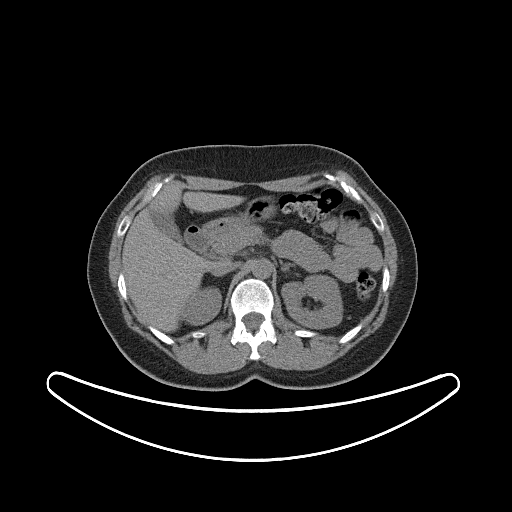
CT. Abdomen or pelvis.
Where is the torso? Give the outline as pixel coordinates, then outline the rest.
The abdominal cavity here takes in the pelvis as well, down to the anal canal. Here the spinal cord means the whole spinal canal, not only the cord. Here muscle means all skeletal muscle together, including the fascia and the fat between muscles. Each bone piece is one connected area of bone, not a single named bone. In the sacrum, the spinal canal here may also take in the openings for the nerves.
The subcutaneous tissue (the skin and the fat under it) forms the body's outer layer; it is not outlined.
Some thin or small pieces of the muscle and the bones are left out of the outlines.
The torso is outlined by 295 143; 331 147; 355 159; 405 218; 417 253; 417 288; 395 342; 367 372; 345 383; 317 389; 280 388; 252 379; 233 389; 202 391; 174 387; 146 375; 115 345; 96 311; 88 286; 88 250; 103 210; 142 163; 162 152; 212 144. The spinal cord is outlined by 251 312; 255 312; 256 313; 259 313; 260 314; 261 314; 263 316; 263 320; 259 325; 259 326; 258 327; 258 329; 257 330; 255 330; 254 331; 249 331; 247 329; 247 328; 246 327; 246 326; 243 321; 243 317; 246 314; 248 314. The abdominal cavity is outlined by 324 183; 331 183; 366 210; 383 246; 376 301; 342 335; 322 334; 293 323; 282 313; 268 284; 255 277; 236 284; 225 317; 180 337; 173 339; 138 315; 128 297; 120 242; 134 216; 161 187; 227 190; 257 186; 276 192; 301 192. The muscle is outlined by 331 168; 341 169; 351 174; 377 203; 397 249; 396 278; 383 323; 343 356; 313 370; 285 370; 254 361; 261 358; 258 351; 261 343; 275 344; 277 341; 272 317; 274 297; 281 313; 300 328; 293 331; 296 336; 311 338; 317 333; 341 336; 337 342; 345 344; 361 330; 363 324; 360 322; 374 307; 380 288; 385 293; 389 287; 390 271; 384 266; 380 235; 385 229; 384 222; 376 211; 369 213; 361 204; 362 196; 342 171; 323 175; 337 182; 350 197; 331 182; 301 191; 276 191; 257 185; 204 189; 176 184; 162 186; 170 179; 166 176; 149 184; 132 218; 126 214; 120 220; 116 236; 120 238; 122 272; 117 276; 116 286; 122 299; 126 302; 129 299; 147 328; 166 345; 173 345; 175 338; 190 333; 193 338; 203 338; 207 333; 199 330; 225 318; 229 303; 233 314; 230 342; 232 345; 247 343; 250 347; 248 358; 251 361; 243 367; 216 374; 190 371; 126 325; 109 278; 109 246; 119 214; 152 174; 179 171; 260 182. The bones appear in 10 outlined pieces: piece 1: 248 278; 255 278; 265 282; 273 295; 271 317; 275 329; 276 341; 275 343; 268 340; 261 342; 257 347; 260 356; 257 360; 249 358; 251 347; 247 342; 237 342; 235 344; 232 344; 231 342; 234 314; 230 305; 230 298; 237 284, around a hole outlined by 251 312; 255 312; 256 313; 259 313; 260 314; 261 314; 263 316; 263 320; 259 325; 259 326; 258 327; 258 329; 257 330; 255 330; 254 331; 249 331; 247 329; 247 328; 246 327; 246 326; 243 321; 243 317; 246 314; 248 314; piece 2: 339 172; 342 172; 345 174; 347 182; 350 185; 351 185; 361 196; 362 198; 362 202; 361 203; 359 203; 353 198; 352 198; 343 189; 343 188; 337 181; 331 181; 324 175; 326 173; 332 174; 333 175; 337 175; 339 173; piece 3: 166 177; 168 177; 169 179; 162 184; 162 185; 159 188; 159 189; 157 191; 155 195; 154 195; 145 204; 144 204; 139 208; 137 208; 137 206; 141 202; 142 197; 145 193; 146 190; 150 185; 150 184; 151 184; 154 181; 161 181; piece 4: 359 323; 361 323; 362 324; 362 326; 361 327; 360 330; 354 336; 354 337; 353 338; 352 338; 350 340; 349 340; 345 343; 339 343; 338 342; 339 339; 346 332; 347 332; 349 330; 350 330; 353 327; 354 327; 357 324; 358 324; piece 5: 148 326; 152 326; 157 330; 158 330; 159 331; 162 332; 164 334; 165 334; 166 335; 169 336; 174 341; 174 343; 173 344; 166 344; 165 343; 164 343; 162 341; 161 341; 155 335; 154 335; 154 334; 148 328; piece 6: 126 215; 128 215; 131 218; 131 221; 130 222; 130 223; 129 224; 129 225; 128 226; 128 227; 127 228; 125 233; 121 237; 119 237; 118 236; 117 236; 117 228; 118 227; 118 226; 119 225; 121 220; 124 217; 124 216; 125 216; piece 7: 120 273; 122 273; 124 276; 124 280; 125 281; 125 286; 126 287; 126 292; 127 293; 127 300; 126 301; 124 299; 123 299; 123 298; 121 296; 121 295; 120 294; 120 293; 118 290; 118 287; 117 286; 117 281; 118 280; 118 276; piece 8: 372 212; 376 212; 380 216; 380 217; 381 218; 381 219; 383 222; 383 224; 384 225; 384 229; 382 232; 379 232; 378 231; 378 230; 375 227; 375 226; 374 225; 374 224; 371 221; 371 220; 370 219; 370 215; 369 214; piece 9: 385 266; 386 267; 387 267; 387 268; 388 269; 388 270; 389 271; 389 284; 388 285; 388 287; 387 288; 387 289; 386 290; 386 291; 385 292; 384 292; 382 290; 382 288; 381 287; 381 284; 382 283; 382 276; 383 275; 383 268; piece 10: 298 329; 305 329; 306 330; 310 330; 311 331; 313 331; 314 332; 316 332; 316 334; 315 335; 314 335; 313 336; 312 336; 311 337; 302 337; 301 336; 298 336; 297 335; 296 335; 294 333; 294 331; 295 330; 297 330.